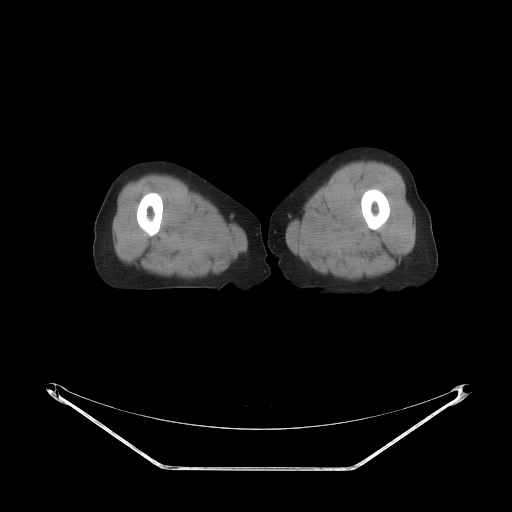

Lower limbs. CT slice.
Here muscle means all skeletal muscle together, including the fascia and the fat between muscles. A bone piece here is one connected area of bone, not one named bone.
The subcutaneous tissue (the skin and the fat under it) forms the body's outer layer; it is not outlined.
{"left_leg":[[[360,145],[377,146],[394,153],[412,172],[418,194],[431,216],[438,253],[436,274],[433,280],[423,287],[407,288],[387,295],[380,291],[355,296],[333,295],[295,287],[282,275],[277,266],[278,258],[265,244],[270,215],[280,200],[322,161],[340,150]]],"bones":[[[370,188],[375,188],[380,190],[386,196],[388,200],[389,207],[390,208],[390,212],[389,213],[388,218],[386,221],[376,230],[373,230],[368,227],[362,215],[362,212],[361,211],[361,205],[360,204],[360,202],[361,201],[362,194],[367,189],[369,189]],[[149,192],[156,192],[158,193],[161,196],[162,198],[162,202],[163,203],[163,212],[162,213],[162,219],[161,220],[160,227],[157,233],[152,236],[148,235],[148,234],[139,226],[136,219],[136,210],[137,209],[138,203],[141,198],[145,194]]],"muscle":[{"outer":[[356,160],[381,161],[393,166],[401,174],[405,182],[405,186],[415,215],[416,241],[415,246],[407,260],[392,272],[374,280],[342,281],[341,282],[321,276],[300,261],[289,250],[285,242],[285,230],[287,224],[292,219],[304,201],[326,178],[340,166]],"hole":[[370,188],[375,188],[380,190],[386,196],[388,200],[389,207],[390,208],[390,212],[389,213],[388,218],[386,221],[376,230],[373,230],[368,227],[362,215],[362,212],[361,211],[361,205],[360,204],[360,202],[361,201],[362,194],[367,189],[369,189]]},{"outer":[[154,172],[169,174],[181,179],[188,185],[207,196],[245,231],[247,234],[248,249],[246,253],[243,255],[241,260],[225,274],[198,279],[160,280],[123,265],[117,258],[113,248],[113,242],[111,235],[111,225],[114,215],[117,196],[122,187],[131,178]],"hole":[[149,192],[156,192],[158,193],[161,196],[162,198],[162,202],[163,203],[163,212],[162,213],[162,219],[161,220],[160,227],[157,233],[152,236],[148,235],[148,234],[139,226],[136,219],[136,210],[137,209],[138,203],[141,198],[145,194]]}],"right_leg":[[[158,158],[175,161],[197,172],[243,203],[257,216],[261,223],[261,234],[267,253],[266,261],[270,267],[267,280],[244,290],[235,290],[227,285],[221,289],[172,288],[127,291],[111,288],[98,277],[92,257],[93,227],[110,184],[126,167],[139,161]]]}